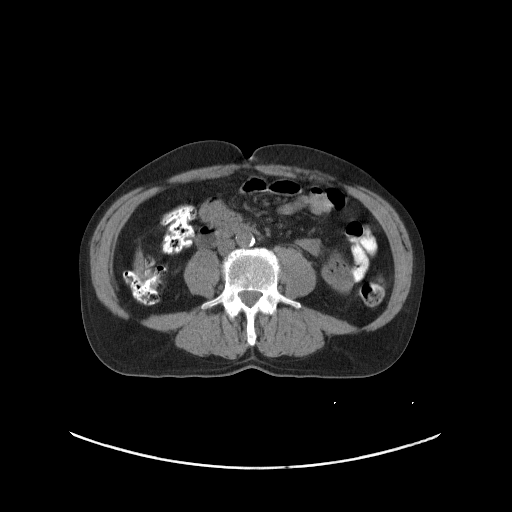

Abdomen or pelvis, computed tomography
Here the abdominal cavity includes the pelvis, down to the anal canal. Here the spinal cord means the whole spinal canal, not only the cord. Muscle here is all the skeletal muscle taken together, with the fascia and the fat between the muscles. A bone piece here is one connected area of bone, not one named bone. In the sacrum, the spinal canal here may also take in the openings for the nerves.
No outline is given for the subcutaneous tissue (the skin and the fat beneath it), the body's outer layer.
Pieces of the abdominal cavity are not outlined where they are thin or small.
Outlines:
spinal cord: (243, 291) (255, 291) (256, 292) (258, 292) (259, 293) (260, 293) (261, 294) (260, 295) (260, 296) (257, 299) (257, 300) (251, 306) (248, 306) (245, 303) (244, 303) (242, 301) (242, 300) (241, 299) (241, 298) (239, 296) (239, 293) (240, 292) (242, 292)
torso: (203, 139) (231, 142) (246, 157) (273, 143) (314, 147) (362, 168) (402, 203) (421, 236) (425, 275) (412, 335) (390, 367) (363, 378) (281, 377) (255, 368) (221, 377) (152, 378) (120, 374) (98, 359) (80, 309) (78, 255) (85, 227) (101, 202) (137, 169) (180, 145)
abdominal cavity: (240, 169) (332, 181) (367, 208) (393, 261) (391, 293) (381, 313) (355, 325) (301, 303) (316, 287) (317, 274) (293, 247) (275, 253) (237, 247) (221, 264) (213, 250) (200, 248) (182, 275) (189, 292) (204, 301) (146, 317) (120, 303) (114, 252) (136, 207) (176, 184)
bones: (259, 247) (272, 250) (279, 260) (277, 289) (301, 306) (296, 308) (279, 302) (272, 315) (258, 312) (254, 319) (256, 341) (250, 345) (247, 342) (247, 321) (242, 312) (230, 318) (220, 303) (205, 309) (201, 308) (201, 304) (222, 291) (224, 281) (221, 265) (231, 251); inner edge: (243, 291) (255, 291) (256, 292) (258, 292) (259, 293) (260, 293) (261, 294) (260, 295) (260, 296) (257, 299) (257, 300) (251, 306) (248, 306) (245, 303) (244, 303) (242, 301) (242, 300) (241, 299) (241, 298) (239, 296) (239, 293) (240, 292) (242, 292)
muscle 1: (219, 164) (279, 164) (317, 170) (364, 186) (387, 201) (402, 221) (413, 251) (410, 289) (401, 309) (375, 330) (334, 335) (305, 356) (268, 357) (255, 347) (235, 359) (192, 354) (178, 348) (165, 332) (114, 315) (96, 296) (90, 273) (90, 240) (107, 209) (135, 188), around a hole outlined by (240, 169) (332, 181) (367, 208) (387, 238) (393, 261) (391, 293) (381, 313) (355, 325) (302, 303) (296, 308) (279, 302) (274, 314) (256, 314) (256, 341) (250, 345) (245, 315) (230, 318) (220, 303) (146, 317) (137, 317) (120, 303) (114, 252) (136, 207) (176, 184)
muscle 2: (200, 249) (211, 250) (216, 254) (220, 262) (220, 266) (221, 267) (221, 277) (223, 281) (223, 287) (221, 291) (213, 298) (207, 300) (200, 295) (192, 294) (190, 292) (184, 280) (184, 276) (183, 275) (184, 273) (184, 268) (187, 262) (194, 253) (197, 250)
muscle 3: (284, 248) (293, 248) (300, 252) (307, 260) (311, 262) (316, 274) (315, 287) (312, 291) (308, 294) (298, 298) (297, 300) (293, 299) (288, 296) (286, 296) (278, 289) (279, 276) (281, 272) (281, 265) (280, 264) (280, 260) (276, 253) (277, 253) (280, 249) (283, 249)